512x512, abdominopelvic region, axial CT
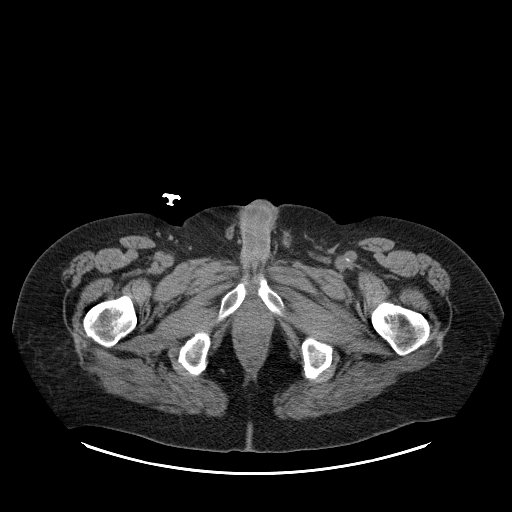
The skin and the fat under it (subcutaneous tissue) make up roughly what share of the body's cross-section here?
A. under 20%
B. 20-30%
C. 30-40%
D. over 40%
Answer: D. over 40%
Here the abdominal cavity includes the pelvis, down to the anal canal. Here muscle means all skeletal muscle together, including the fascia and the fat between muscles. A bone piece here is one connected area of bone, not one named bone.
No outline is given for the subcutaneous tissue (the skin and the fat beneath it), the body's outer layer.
The muscle is outlined by (127, 235) (147, 235) (185, 259) (233, 260) (249, 274) (264, 272) (279, 258) (325, 265) (364, 238) (391, 239) (428, 254) (450, 277) (451, 322) (443, 349) (433, 362) (353, 407) (314, 418) (282, 419) (274, 413) (274, 395) (301, 377) (282, 330) (274, 326) (258, 384) (248, 385) (242, 384) (243, 367) (226, 332) (206, 368) (207, 377) (228, 397) (223, 415) (180, 415) (128, 400) (106, 392) (81, 367) (62, 319) (61, 282) (64, 268) (76, 255) with holes at (385, 301) (386, 302) (390, 302) (411, 309) (414, 311) (419, 312) (425, 316) (430, 325) (430, 333) (427, 341) (424, 344) (421, 345) (415, 350) (405, 355) (399, 355) (396, 353) (391, 346) (375, 331) (371, 324) (370, 315) (371, 312) (380, 303) and at (122, 295) (127, 295) (130, 297) (136, 311) (136, 314) (137, 315) (137, 324) (135, 328) (131, 332) (122, 337) (114, 345) (111, 347) (105, 347) (97, 343) (90, 337) (87, 336) (83, 327) (83, 323) (82, 322) (83, 317) (89, 308) (93, 305) (104, 300) (117, 298) and at (252, 305) (257, 305) (267, 312) (271, 320) (271, 329) (270, 330) (270, 335) (267, 342) (267, 347) (265, 349) (265, 353) (263, 355) (261, 361) (259, 362) (257, 367) (253, 371) (248, 371) (246, 366) (244, 365) (238, 351) (236, 338) (234, 333) (234, 322) (244, 309) and at (202, 331) (205, 331) (206, 332) (207, 331) (209, 333) (210, 341) (211, 342) (207, 353) (207, 363) (206, 364) (205, 369) (200, 374) (198, 375) (192, 375) (187, 370) (186, 370) (179, 362) (178, 362) (179, 349) (187, 339) (190, 338) (195, 333) (197, 332) (201, 332) and at (306, 337) (312, 337) (318, 341) (327, 343) (331, 345) (333, 348) (333, 350) (332, 351) (332, 360) (331, 361) (331, 364) (327, 369) (324, 370) (318, 376) (317, 379) (308, 379) (306, 378) (303, 370) (302, 353) (301, 352) (300, 347) (301, 346) (302, 341) and at (241, 282) (243, 282) (244, 283) (244, 285) (246, 289) (246, 295) (244, 299) (240, 305) (231, 314) (228, 315) (221, 321) (219, 322) (216, 322) (216, 319) (218, 315) (218, 311) (220, 307) (220, 304) (221, 303) (221, 299) (222, 297) (228, 291) (232, 289) (237, 284) and at (260, 276) (263, 276) (265, 278) (265, 279) (267, 281) (268, 285) (273, 290) (274, 290) (282, 299) (283, 303) (284, 304) (284, 315) (283, 316) (276, 315) (274, 313) (270, 311) (270, 310) (266, 306) (262, 299) (258, 295) (257, 293) (257, 290) (259, 286) (259, 278). The torso is outlined by (256, 198) (313, 207) (339, 223) (371, 215) (421, 223) (474, 260) (494, 288) (503, 317) (488, 360) (455, 414) (349, 445) (284, 453) (186, 449) (103, 427) (68, 428) (32, 378) (11, 328) (20, 288) (38, 256) (68, 231) (99, 218) (148, 212) (180, 225) (204, 208). The abdominal cavity is outlined by (252, 305) (257, 305) (267, 312) (271, 320) (271, 329) (270, 330) (270, 335) (267, 342) (267, 347) (265, 349) (265, 353) (263, 355) (261, 361) (259, 362) (257, 367) (253, 371) (248, 371) (246, 366) (244, 365) (238, 351) (236, 338) (234, 333) (234, 322) (244, 309). The bones appear in 6 outlined pieces: piece 1: (385, 301) (386, 302) (390, 302) (411, 309) (414, 311) (419, 312) (425, 316) (430, 325) (430, 333) (427, 341) (424, 344) (421, 345) (415, 350) (405, 355) (399, 355) (396, 353) (391, 346) (375, 331) (371, 324) (370, 315) (371, 312) (380, 303); piece 2: (122, 295) (127, 295) (130, 297) (136, 311) (136, 314) (137, 315) (137, 324) (135, 328) (131, 332) (122, 337) (114, 345) (111, 347) (105, 347) (97, 343) (90, 337) (87, 336) (83, 327) (83, 323) (82, 322) (83, 317) (89, 308) (93, 305) (104, 300) (117, 298); piece 3: (202, 331) (205, 331) (206, 332) (207, 331) (209, 333) (210, 341) (211, 342) (207, 353) (207, 363) (206, 364) (205, 369) (200, 374) (198, 375) (192, 375) (187, 370) (186, 370) (179, 362) (178, 362) (179, 349) (187, 339) (190, 338) (195, 333) (197, 332) (201, 332); piece 4: (306, 337) (312, 337) (318, 341) (327, 343) (331, 345) (333, 348) (333, 350) (332, 351) (332, 360) (331, 361) (331, 364) (327, 369) (324, 370) (318, 376) (317, 379) (308, 379) (306, 378) (303, 370) (302, 353) (301, 352) (300, 347) (301, 346) (302, 341); piece 5: (241, 282) (243, 282) (244, 283) (244, 285) (246, 289) (246, 295) (244, 299) (240, 305) (231, 314) (228, 315) (221, 321) (219, 322) (216, 322) (216, 319) (218, 315) (218, 311) (220, 307) (220, 304) (221, 303) (221, 299) (222, 297) (228, 291) (232, 289) (237, 284); piece 6: (260, 276) (263, 276) (265, 278) (265, 279) (267, 281) (268, 285) (273, 290) (274, 290) (282, 299) (283, 303) (284, 304) (284, 315) (283, 316) (276, 315) (274, 313) (270, 311) (270, 310) (266, 306) (262, 299) (258, 295) (257, 293) (257, 290) (259, 286) (259, 278).